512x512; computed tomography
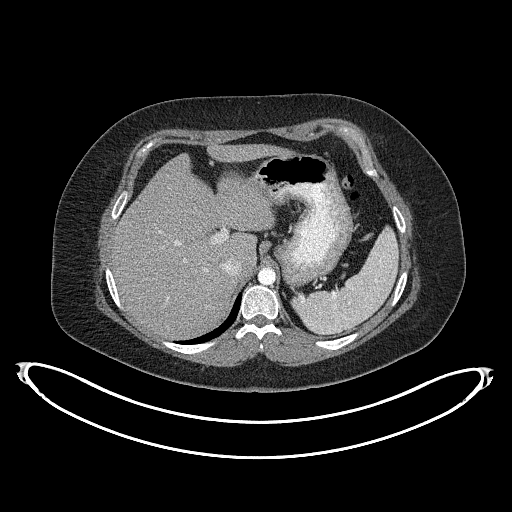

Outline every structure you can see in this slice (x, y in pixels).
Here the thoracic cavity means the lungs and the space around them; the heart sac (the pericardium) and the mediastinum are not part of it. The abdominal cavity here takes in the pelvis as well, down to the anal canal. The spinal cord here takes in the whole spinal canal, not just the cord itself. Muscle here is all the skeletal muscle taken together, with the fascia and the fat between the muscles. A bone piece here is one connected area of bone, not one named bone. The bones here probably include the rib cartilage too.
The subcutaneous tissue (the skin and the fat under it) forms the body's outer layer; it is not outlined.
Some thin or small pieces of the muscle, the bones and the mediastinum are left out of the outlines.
{"mediastinum":[[[272,289],[274,289],[274,286],[275,285],[275,272],[273,268],[270,268],[267,266],[259,270],[256,275],[254,276],[254,277],[252,278],[251,280],[250,280],[250,281],[246,286],[257,283],[258,284],[262,284],[263,285],[265,285]]],"torso":[[[239,392],[321,387],[382,368],[431,342],[457,304],[466,265],[453,188],[424,145],[395,117],[371,103],[330,93],[196,96],[157,102],[125,115],[104,131],[78,162],[62,191],[53,227],[50,278],[51,308],[61,329],[81,344],[145,373],[195,387]]],"spinal_cord":[[[257,326],[262,326],[263,325],[264,325],[266,323],[267,323],[268,322],[268,320],[264,316],[263,316],[262,315],[257,315],[256,316],[255,316],[251,320],[251,322],[252,322],[253,323],[254,323]]],"muscle":[{"outer":[[220,367],[231,367],[232,366],[241,365],[246,360],[253,358],[260,354],[262,354],[271,361],[277,362],[281,366],[305,365],[320,360],[323,360],[336,355],[339,355],[355,348],[381,332],[407,311],[415,302],[417,298],[417,293],[420,287],[420,277],[418,271],[419,266],[417,263],[416,251],[413,245],[413,233],[412,232],[413,230],[412,226],[413,218],[410,212],[410,209],[398,192],[395,185],[390,180],[386,172],[378,161],[369,137],[363,129],[353,122],[341,118],[321,117],[291,125],[278,126],[277,127],[265,127],[264,128],[256,128],[255,129],[198,129],[197,128],[187,128],[186,127],[183,128],[180,127],[164,128],[153,131],[148,135],[144,136],[135,144],[130,151],[124,163],[122,175],[119,184],[111,198],[109,204],[103,212],[100,220],[100,225],[98,229],[98,238],[96,244],[98,249],[98,258],[97,260],[99,264],[94,279],[95,282],[95,289],[94,290],[95,305],[103,314],[113,321],[121,325],[139,339],[155,348],[157,348],[178,358],[201,363],[207,366],[219,366]],"hole":[[183,353],[199,352],[214,345],[241,321],[235,333],[237,339],[249,331],[259,340],[270,331],[281,335],[275,321],[283,320],[285,315],[294,327],[316,337],[317,346],[337,349],[354,340],[360,334],[357,330],[389,301],[391,306],[396,304],[407,280],[407,271],[400,272],[399,234],[405,232],[405,222],[397,206],[388,205],[375,183],[378,174],[357,131],[325,124],[325,128],[335,129],[336,134],[328,133],[307,142],[258,133],[202,146],[168,142],[153,149],[158,139],[154,138],[136,152],[137,159],[146,157],[131,197],[123,190],[113,205],[111,219],[117,222],[110,244],[111,267],[105,268],[105,279],[112,299],[121,310],[125,309],[148,331],[163,337],[165,346]]}],"thoracic_cavity":[[[182,344],[193,344],[194,343],[200,343],[201,342],[208,341],[218,336],[226,330],[235,319],[240,304],[241,293],[238,294],[234,302],[234,305],[230,314],[226,320],[219,327],[216,328],[215,330],[197,338],[194,338],[189,340],[177,340],[174,341]]],"bones":[{"outer":[[183,353],[199,352],[214,345],[218,338],[241,321],[235,333],[237,339],[249,331],[259,340],[270,331],[281,335],[275,321],[278,318],[283,320],[284,315],[279,309],[275,292],[257,284],[246,287],[235,321],[208,342],[182,345],[163,340],[165,346]],"hole":[[257,326],[262,326],[263,325],[264,325],[266,323],[267,323],[268,322],[268,320],[264,316],[263,316],[262,315],[257,315],[256,316],[255,316],[251,320],[251,322],[252,322],[253,323],[254,323]]},[[374,179],[378,176],[378,174],[372,165],[371,157],[362,136],[357,131],[347,126],[325,124],[324,125],[325,128],[330,130],[335,129],[338,135],[348,141],[351,141],[352,143],[355,143],[358,146],[361,152],[364,170],[368,175]],[[327,349],[337,349],[344,345],[346,345],[348,343],[354,340],[360,334],[357,331],[351,334],[349,334],[346,336],[344,336],[340,338],[337,338],[333,340],[317,340],[315,342],[315,344],[317,346],[319,346],[323,348],[326,348]],[[121,310],[124,310],[124,307],[120,301],[120,299],[119,298],[119,296],[117,292],[117,289],[115,285],[115,282],[113,279],[113,276],[112,275],[111,270],[110,268],[106,267],[105,268],[105,279],[106,280],[106,283],[107,284],[109,292],[115,304]],[[112,220],[115,220],[118,218],[118,217],[121,213],[125,204],[128,200],[129,195],[128,194],[128,192],[126,190],[123,190],[121,192],[121,193],[119,195],[119,196],[117,198],[116,201],[113,205],[113,207],[112,208],[112,210],[111,211],[111,219]],[[391,306],[394,306],[396,304],[397,301],[401,296],[402,294],[402,292],[404,289],[404,287],[405,286],[405,284],[407,280],[407,271],[405,270],[403,271],[400,274],[399,276],[398,281],[394,289],[394,291],[392,295],[392,298],[390,302],[390,305]],[[400,233],[404,233],[405,232],[405,222],[404,221],[404,218],[403,217],[403,216],[402,215],[401,212],[397,207],[397,206],[396,205],[393,205],[392,206],[392,213],[393,214],[393,216],[394,217],[394,220],[396,223],[396,226],[397,227],[397,228]],[[137,159],[138,159],[141,157],[143,157],[145,155],[146,155],[147,154],[147,153],[150,150],[151,147],[155,143],[155,142],[158,139],[158,138],[154,138],[153,139],[150,140],[148,142],[145,143],[136,152],[136,153],[135,154],[135,157]]],"abdominal_cavity":[[[172,341],[219,326],[237,294],[266,265],[276,272],[274,290],[288,321],[318,339],[356,331],[387,304],[400,273],[399,233],[391,208],[364,172],[351,142],[331,133],[307,142],[258,133],[202,146],[168,142],[148,153],[112,234],[111,269],[130,316]]]}